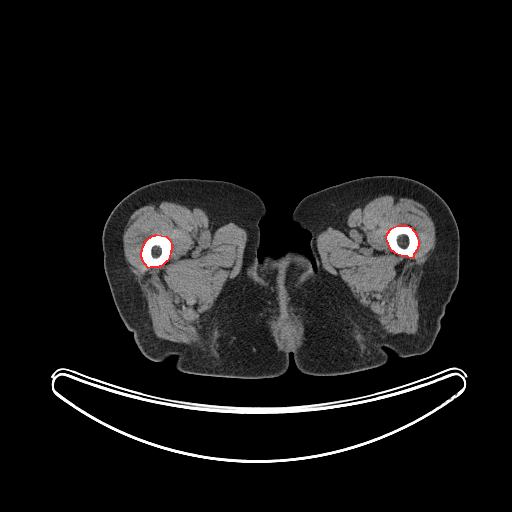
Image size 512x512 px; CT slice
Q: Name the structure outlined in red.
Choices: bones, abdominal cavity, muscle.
A: red: bones.
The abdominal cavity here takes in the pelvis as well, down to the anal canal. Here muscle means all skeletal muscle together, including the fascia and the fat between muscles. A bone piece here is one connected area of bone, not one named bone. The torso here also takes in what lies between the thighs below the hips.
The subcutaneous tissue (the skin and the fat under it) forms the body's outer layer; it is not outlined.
The bones appear in 2 outlined pieces: piece 1: 397,225 407,225 411,227 416,234 416,236 418,240 418,246 417,247 417,249 413,254 413,257 412,258 408,257 407,256 402,256 395,253 393,251 392,251 388,244 388,242 386,238 387,233 391,228; piece 2: 156,234 166,236 169,239 171,243 171,250 170,251 169,257 167,261 166,261 161,266 159,266 158,267 150,267 148,268 142,260 142,258 141,257 141,251 142,250 143,245 146,240 152,235 155,235. The torso is outlined by 289,249 301,251 313,265 314,262 343,311 384,349 388,354 388,361 375,368 334,376 314,376 302,373 296,367 291,354 287,371 280,376 271,378 215,377 179,371 175,367 176,359 185,351 264,255 278,256. The muscle appears in 3 outlined pieces: piece 1: 157,201 195,204 215,220 232,222 244,229 247,234 241,269 234,278 225,283 211,309 204,314 205,319 201,322 202,327 199,331 204,341 198,348 164,340 154,334 146,298 124,256 123,233 131,214 136,209, around a hole outlined by 156,234 166,236 169,239 171,243 171,250 170,251 169,257 167,261 166,261 161,266 159,266 158,267 150,267 148,268 142,260 142,258 141,257 141,251 142,250 143,245 146,240 152,235 155,235; piece 2: 382,195 411,198 421,203 428,211 435,227 435,247 422,266 423,273 416,292 419,329 415,334 390,334 382,329 378,322 353,296 347,285 339,277 332,275 323,268 317,249 316,238 325,224 332,218 345,209 with a hole at 397,225 407,225 411,227 416,234 416,236 418,240 418,246 417,247 417,249 413,254 413,257 412,258 408,257 407,256 402,256 395,253 393,251 392,251 388,244 388,242 386,238 387,233 391,228; piece 3: 284,310 288,310 296,314 297,318 301,321 303,326 303,338 301,340 301,343 297,348 295,348 294,349 283,349 282,348 280,349 276,343 274,339 274,337 272,335 270,322 272,321 273,317 278,312 283,311 with a hole at 280,322 293,322 297,326 297,333 296,334 296,335 295,336 295,338 294,338 293,339 292,339 291,340 283,340 282,339 281,339 280,338 280,336 279,335 279,334 278,333 278,326 280,324. The abdominal cavity is outlined by 280,322 293,322 297,326 297,333 296,334 296,335 295,336 295,338 294,338 293,339 292,339 291,340 283,340 282,339 281,339 280,338 280,336 279,335 279,334 278,333 278,326 280,324. The left leg is outlined by 374,175 403,176 415,179 429,186 444,199 457,223 460,237 458,284 446,306 437,337 432,347 423,354 401,357 390,349 383,348 344,311 314,261 310,248 310,233 302,229 291,219 295,207 307,195 349,180. The right leg is outlined by 173,178 200,178 235,183 256,193 264,202 266,213 259,222 258,257 260,260 257,264 177,358 170,356 163,361 153,361 141,353 133,339 133,334 126,328 116,309 103,267 101,239 110,212 127,194 145,184.